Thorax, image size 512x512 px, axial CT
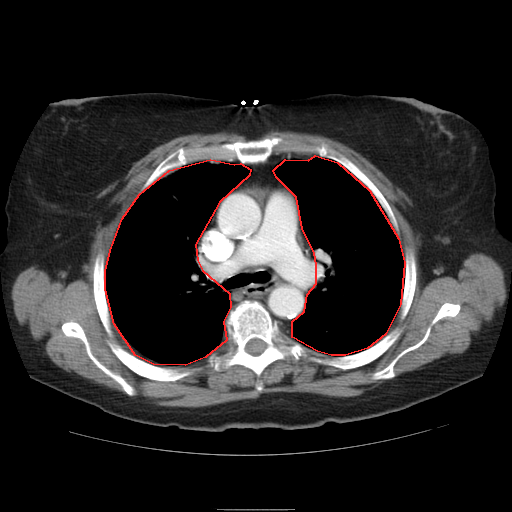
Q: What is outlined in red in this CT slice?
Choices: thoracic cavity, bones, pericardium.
A: red: thoracic cavity.
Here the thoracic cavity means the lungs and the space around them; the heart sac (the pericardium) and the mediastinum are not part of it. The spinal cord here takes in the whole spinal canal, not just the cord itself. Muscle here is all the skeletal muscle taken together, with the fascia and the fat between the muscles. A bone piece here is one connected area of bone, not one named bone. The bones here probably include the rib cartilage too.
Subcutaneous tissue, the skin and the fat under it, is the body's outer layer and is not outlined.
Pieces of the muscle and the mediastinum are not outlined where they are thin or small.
{"thoracic_cavity":[[[210,159],[234,164],[240,163],[250,169],[249,175],[219,202],[195,244],[197,260],[202,270],[229,293],[230,307],[223,321],[226,340],[205,357],[185,365],[153,364],[135,355],[114,324],[105,289],[105,271],[110,250],[122,218],[139,194],[169,170]],[[315,155],[337,162],[369,190],[398,238],[404,262],[400,304],[385,334],[367,348],[345,355],[331,355],[317,351],[292,337],[292,321],[304,311],[307,294],[316,283],[316,264],[314,253],[302,228],[296,197],[276,177],[273,170],[285,159],[308,160]]],"mediastinum":[[[302,229],[313,253],[315,283],[306,294],[303,311],[291,321],[291,337],[284,332],[280,323],[272,317],[260,301],[256,299],[244,299],[231,307],[230,293],[208,276],[199,263],[197,254],[210,264],[231,264],[258,271],[287,268],[305,258],[306,245]],[[281,153],[302,153],[303,154],[314,155],[308,159],[301,159],[294,157],[285,158],[273,167],[272,170],[273,174],[287,188],[277,186],[270,186],[269,185],[237,185],[247,178],[251,173],[251,169],[247,164],[265,163],[268,158],[273,154],[278,155]]],"torso":[[[134,92],[213,98],[240,107],[323,93],[395,95],[416,98],[471,121],[487,146],[495,174],[496,223],[511,241],[505,313],[482,375],[370,418],[298,429],[223,431],[122,418],[31,378],[12,335],[0,271],[5,205],[14,171],[50,103]]],"muscle":[{"outer":[[271,130],[320,134],[337,140],[360,153],[407,194],[412,203],[408,223],[421,242],[418,259],[423,286],[438,277],[455,277],[464,259],[475,252],[490,256],[501,266],[505,283],[503,302],[472,343],[461,353],[443,356],[395,377],[394,367],[399,359],[421,346],[439,320],[459,313],[459,303],[446,301],[416,343],[403,349],[387,365],[371,374],[373,380],[390,379],[359,395],[337,397],[309,392],[276,391],[262,393],[256,398],[199,407],[162,406],[131,398],[91,383],[56,365],[26,327],[17,321],[11,290],[18,274],[32,265],[74,268],[85,263],[94,234],[111,209],[108,200],[97,198],[96,195],[120,179],[134,162],[155,147],[192,133],[226,131],[256,139]],"holes":[[[272,137],[324,143],[337,150],[372,181],[388,202],[399,228],[402,255],[411,249],[416,260],[409,310],[402,320],[397,313],[385,332],[399,327],[400,335],[376,359],[345,370],[307,357],[295,362],[277,359],[262,371],[260,391],[251,369],[234,364],[216,371],[205,357],[186,364],[191,373],[174,381],[137,374],[107,342],[110,337],[93,294],[96,256],[102,252],[107,265],[122,218],[146,180],[170,153],[196,144]],[[67,321],[77,322],[82,327],[89,343],[90,350],[92,354],[108,369],[123,377],[135,389],[136,391],[135,395],[132,396],[128,395],[114,379],[107,375],[93,362],[87,354],[85,344],[81,339],[77,337],[67,336],[64,334],[61,326],[64,322]]]},[[114,325],[116,329],[118,331],[119,334],[125,341],[126,344],[131,349],[131,350],[133,351],[133,353],[130,352],[128,350],[124,348],[119,343],[118,343],[116,341],[112,339],[114,335],[114,331],[113,330],[113,327]]],"bones":[{"outer":[[244,300],[260,302],[287,336],[331,356],[365,350],[396,327],[401,333],[376,359],[350,369],[307,357],[295,362],[277,359],[262,371],[263,387],[259,391],[257,377],[251,369],[234,364],[216,371],[206,361],[206,357],[227,340],[224,321],[230,308]],"hole":[[254,338],[257,338],[258,339],[260,339],[262,341],[263,341],[266,344],[266,347],[264,349],[264,350],[261,353],[260,353],[257,355],[253,355],[252,354],[251,354],[250,353],[247,352],[245,349],[247,343],[251,339],[253,339]]},[[272,137],[305,143],[324,143],[347,157],[372,181],[388,202],[397,221],[399,238],[379,202],[359,179],[337,161],[311,153],[273,153],[265,162],[246,164],[237,159],[231,162],[215,158],[194,161],[167,170],[138,194],[160,162],[180,147]],[[99,252],[102,252],[104,255],[105,297],[113,322],[113,335],[111,339],[138,358],[153,365],[161,367],[189,366],[191,369],[191,373],[189,375],[174,381],[150,379],[131,370],[112,351],[107,342],[110,337],[100,320],[93,294],[93,268],[95,258]],[[446,302],[459,304],[460,309],[458,313],[454,316],[445,316],[439,319],[431,327],[427,339],[421,345],[408,351],[399,358],[393,367],[395,373],[394,377],[373,379],[372,374],[374,372],[383,369],[398,354],[406,348],[416,344],[424,336],[438,310]],[[67,321],[77,322],[82,327],[89,343],[90,350],[92,354],[108,369],[123,377],[135,389],[136,391],[135,395],[132,396],[128,395],[114,379],[107,375],[93,362],[87,354],[85,344],[81,339],[77,337],[67,336],[64,334],[61,326],[64,322]],[[408,249],[413,250],[415,256],[415,259],[416,260],[416,283],[415,284],[415,289],[413,294],[413,298],[409,310],[406,316],[401,320],[398,314],[398,311],[403,296],[404,282],[405,281],[405,262],[404,261],[404,257]]],"spinal_cord":[[[254,338],[257,338],[258,339],[260,339],[262,341],[263,341],[266,344],[266,347],[264,349],[264,350],[261,353],[260,353],[257,355],[253,355],[252,354],[251,354],[250,353],[247,352],[245,349],[247,343],[251,339],[253,339]]],"pericardium":[[[236,186],[269,186],[270,187],[285,188],[288,189],[293,194],[297,202],[299,210],[301,233],[303,238],[303,242],[305,245],[304,258],[302,260],[287,267],[258,270],[231,263],[210,263],[197,253],[196,244],[198,242],[202,231],[210,222],[223,198]]]}